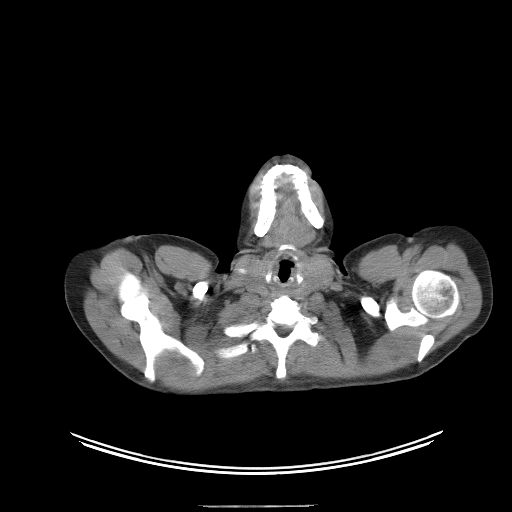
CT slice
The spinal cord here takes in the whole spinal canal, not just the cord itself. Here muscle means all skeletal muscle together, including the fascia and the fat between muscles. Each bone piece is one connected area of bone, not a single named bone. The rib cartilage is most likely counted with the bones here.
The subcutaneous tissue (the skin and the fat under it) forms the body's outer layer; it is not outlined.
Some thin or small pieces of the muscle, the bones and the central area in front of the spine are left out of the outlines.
Outlines:
central area in front of the spine: [[283,250],[295,252],[298,256],[298,263],[296,265],[299,269],[295,275],[296,282],[298,284],[304,282],[300,287],[296,289],[289,290],[277,289],[271,287],[264,282],[265,281],[268,284],[271,282],[272,279],[271,268],[272,262],[270,260],[276,254]]
torso: [[287,153],[307,163],[325,192],[334,221],[330,248],[341,272],[352,248],[403,234],[407,304],[461,345],[417,377],[371,386],[177,396],[127,379],[74,322],[142,295],[155,269],[144,234],[193,239],[214,251],[217,269],[227,271],[248,184],[269,158]]
bones 1: [[282,294],[297,301],[303,314],[318,318],[311,328],[324,337],[315,346],[298,339],[289,347],[284,378],[275,375],[277,355],[266,340],[255,342],[255,352],[217,355],[218,348],[249,341],[247,336],[226,335],[225,327],[263,318],[270,302]] with a hole at [[276,325],[285,325],[286,326],[287,326],[288,327],[289,327],[290,328],[291,328],[291,330],[289,332],[289,333],[288,333],[286,335],[285,335],[284,336],[281,336],[280,335],[279,335],[277,333],[277,332],[276,331],[276,330],[275,329],[275,326]]
bones 2: [[426,269],[438,270],[449,275],[457,285],[460,301],[452,315],[430,319],[418,326],[402,325],[390,330],[382,315],[373,317],[362,307],[360,297],[370,296],[378,303],[382,314],[389,296],[395,295],[399,309],[407,312],[414,305],[411,296],[414,279]]
bones 3: [[122,269],[139,277],[147,289],[148,307],[162,323],[162,330],[202,358],[204,364],[200,375],[195,374],[195,368],[188,359],[175,351],[165,350],[155,359],[154,382],[146,379],[140,327],[120,312],[121,302],[116,287],[117,275]]
bones 4: [[275,164],[296,165],[309,175],[308,185],[312,200],[324,219],[322,227],[314,227],[303,214],[292,181],[283,172],[274,178],[274,183],[277,184],[274,189],[277,198],[276,210],[270,227],[260,237],[254,233],[253,228],[261,197],[260,183],[262,176]]
bones 5: [[424,334],[431,334],[432,335],[433,335],[434,336],[434,342],[433,343],[432,346],[426,354],[426,355],[423,358],[423,359],[420,362],[417,362],[417,354],[418,353],[418,349],[419,348],[419,344],[420,343],[421,338]]
bones 6: [[202,280],[206,280],[208,282],[208,287],[207,288],[207,290],[205,292],[205,293],[204,294],[203,297],[201,299],[199,299],[198,298],[195,298],[192,295],[192,290],[193,289],[193,288],[194,287],[195,284],[197,282],[198,282],[199,281],[201,281]]
bones 7: [[270,261],[271,262],[271,265],[270,266],[270,268],[271,269],[271,279],[270,280],[270,282],[267,283],[264,277],[264,273],[265,273],[267,271],[268,269],[268,267],[267,265],[268,264],[268,262]]
left arm: [[448,223],[461,225],[467,228],[479,239],[486,251],[489,260],[493,284],[493,304],[488,320],[484,326],[475,335],[466,339],[463,342],[435,321],[422,315],[408,304],[409,276],[408,275],[408,263],[407,262],[405,235],[409,236],[415,231],[426,226]]
right arm: [[132,234],[143,234],[147,241],[150,255],[154,261],[154,269],[150,274],[141,295],[134,300],[128,301],[120,306],[113,307],[99,314],[74,321],[67,308],[64,297],[64,273],[70,258],[74,253],[83,247],[96,244],[102,244],[115,238]]
spinal cord: [[276,325],[285,325],[286,326],[287,326],[288,327],[289,327],[290,328],[291,328],[291,330],[289,332],[289,333],[288,333],[286,335],[285,335],[284,336],[281,336],[280,335],[279,335],[277,333],[277,332],[276,331],[276,330],[275,329],[275,326]]
muscle 1: [[270,164],[259,183],[252,228],[257,237],[271,227],[278,198],[275,178],[283,173],[307,221],[316,229],[320,229],[324,226],[312,197],[310,178],[319,189],[326,216],[325,234],[320,244],[344,281],[357,278],[352,267],[360,257],[384,245],[401,249],[423,240],[454,240],[481,285],[482,306],[476,319],[425,358],[435,336],[424,333],[417,363],[375,377],[266,377],[180,391],[155,382],[157,357],[175,352],[189,361],[197,377],[205,362],[163,330],[149,307],[148,289],[139,276],[122,268],[115,287],[119,312],[139,327],[146,381],[107,349],[86,319],[81,291],[88,282],[90,262],[118,247],[139,255],[140,250],[152,254],[155,247],[170,244],[209,259],[214,275],[229,275],[245,247],[250,191]], around holes outlined by [[282,294],[297,301],[303,314],[318,318],[311,328],[324,337],[315,346],[298,339],[289,347],[284,378],[275,375],[277,355],[266,340],[255,342],[255,352],[217,355],[218,348],[249,341],[247,336],[226,335],[225,327],[263,318],[270,302]] and by [[426,269],[438,270],[449,275],[457,285],[460,301],[452,315],[430,319],[418,326],[402,325],[390,330],[382,315],[373,317],[362,307],[360,297],[370,296],[378,303],[382,314],[389,296],[395,295],[399,309],[407,312],[414,305],[411,296],[414,279]] and by [[282,244],[291,244],[296,248],[296,250],[291,251],[295,252],[298,256],[298,268],[303,276],[302,281],[304,282],[300,287],[296,289],[277,289],[271,287],[264,282],[264,273],[268,269],[268,262],[276,254],[282,251],[278,249],[278,247]] and by [[202,280],[206,280],[208,282],[208,287],[207,288],[207,290],[205,292],[205,293],[204,294],[203,297],[201,299],[199,299],[198,298],[195,298],[192,295],[192,290],[193,289],[193,288],[194,287],[195,284],[197,282],[198,282],[199,281],[201,281]]
muscle 2: [[283,159],[289,159],[290,160],[291,160],[292,161],[295,162],[300,166],[302,166],[308,172],[308,174],[308,173],[303,168],[302,168],[300,166],[299,166],[296,164],[293,164],[292,163],[275,163],[275,162],[276,161],[277,161],[278,160],[282,160]]